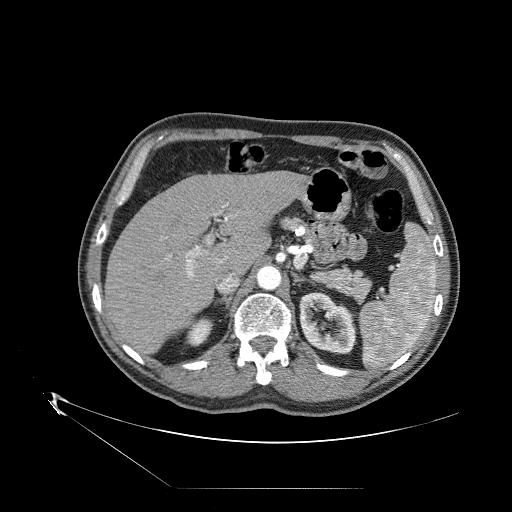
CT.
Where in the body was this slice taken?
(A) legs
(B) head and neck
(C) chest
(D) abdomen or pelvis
(D) abdomen or pelvis
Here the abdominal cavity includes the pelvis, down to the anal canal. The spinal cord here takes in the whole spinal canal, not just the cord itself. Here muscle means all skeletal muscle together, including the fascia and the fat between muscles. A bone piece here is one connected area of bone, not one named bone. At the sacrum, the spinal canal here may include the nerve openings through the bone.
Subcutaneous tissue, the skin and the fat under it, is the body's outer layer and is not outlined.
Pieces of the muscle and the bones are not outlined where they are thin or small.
The abdominal cavity is outlined by 254 138; 375 148; 405 176; 437 256; 437 293; 419 340; 387 367; 329 364; 300 337; 286 303; 270 292; 254 292; 242 299; 225 335; 189 361; 168 364; 142 357; 116 335; 102 307; 102 250; 114 212; 130 195; 140 172; 168 143. The muscle is outlined by 173 127; 387 140; 404 151; 431 193; 450 262; 445 313; 420 358; 395 378; 347 399; 296 401; 266 385; 272 380; 267 368; 271 363; 279 361; 283 367; 289 364; 287 343; 293 319; 299 337; 327 363; 315 362; 323 374; 340 377; 348 375; 351 369; 390 371; 402 365; 432 315; 438 316; 442 311; 438 257; 443 256; 444 248; 440 235; 435 233; 432 237; 428 228; 434 223; 434 215; 418 177; 392 147; 386 144; 384 147; 403 173; 375 147; 328 147; 284 137; 254 137; 168 142; 142 169; 153 145; 151 140; 143 144; 114 196; 117 207; 109 228; 104 220; 96 232; 94 244; 103 244; 100 288; 96 282; 92 284; 91 299; 98 313; 103 309; 121 348; 141 365; 145 364; 143 357; 148 357; 168 365; 181 363; 186 370; 206 368; 207 359; 195 359; 219 342; 232 326; 239 342; 236 365; 243 367; 246 362; 253 362; 258 384; 232 397; 198 397; 174 390; 122 360; 101 335; 90 305; 85 268; 90 239; 132 149; 146 135. The torso is outlined by 191 111; 361 122; 387 129; 413 148; 449 213; 459 252; 460 283; 457 306; 445 336; 411 378; 365 407; 341 415; 301 417; 270 408; 210 415; 152 395; 109 359; 90 328; 79 297; 77 260; 83 230; 99 192; 136 134; 165 116. The spinal cord is outlined by 261 335; 266 335; 267 336; 270 336; 275 339; 275 343; 272 346; 271 349; 268 350; 265 353; 261 353; 257 350; 254 349; 251 345; 251 343; 250 342; 251 341; 251 340; 255 337; 256 337; 257 336; 260 336. The bones appear in 11 outlined pieces: piece 1: 259 292; 277 296; 291 314; 290 338; 286 343; 288 364; 283 366; 279 360; 271 362; 266 367; 271 373; 271 380; 265 385; 256 382; 257 367; 253 361; 246 361; 243 366; 237 365; 240 342; 233 330; 234 314; 242 300; 250 294 with a hole at 261 335; 266 335; 267 336; 270 336; 275 339; 275 343; 272 346; 271 349; 268 350; 265 353; 261 353; 257 350; 254 349; 251 345; 251 343; 250 342; 251 341; 251 340; 255 337; 256 337; 257 336; 260 336; piece 2: 386 145; 392 148; 396 152; 401 155; 417 177; 423 196; 429 207; 429 209; 433 215; 433 223; 431 225; 426 224; 423 221; 420 215; 414 196; 410 189; 410 187; 408 184; 408 181; 403 171; 403 168; 402 166; 390 155; 385 147; piece 3: 149 141; 152 142; 152 145; 147 154; 147 156; 145 158; 145 161; 141 168; 141 170; 139 172; 139 175; 137 177; 133 187; 125 201; 121 205; 117 206; 114 200; 115 196; 120 189; 122 183; 130 169; 133 160; 138 151; 143 145; piece 4: 316 362; 318 362; 321 364; 328 364; 329 365; 335 366; 336 367; 339 367; 340 368; 347 368; 348 369; 350 369; 351 371; 346 375; 341 375; 340 376; 338 376; 337 375; 330 375; 329 374; 326 374; 320 371; 316 367; piece 5: 94 283; 96 283; 99 286; 99 288; 100 289; 100 297; 101 298; 101 307; 102 308; 102 311; 100 313; 99 312; 98 312; 95 308; 95 307; 94 306; 94 304; 93 303; 93 300; 92 299; 92 288; 93 287; 93 284; piece 6: 104 221; 106 221; 106 223; 108 226; 108 233; 106 236; 106 238; 105 239; 104 242; 101 245; 96 245; 95 244; 95 241; 96 240; 96 235; 97 234; 97 232; 98 231; 98 230; 99 229; 99 228; 100 227; 101 224; piece 7: 195 360; 207 360; 208 361; 208 364; 207 365; 207 366; 206 367; 204 367; 203 368; 201 368; 200 369; 186 369; 185 368; 183 368; 181 366; 181 364; 182 363; 185 363; 186 362; 190 362; 191 361; 194 361; piece 8: 122 343; 123 343; 124 344; 126 344; 128 346; 129 346; 133 350; 134 350; 143 359; 143 360; 144 361; 144 364; 141 364; 140 363; 139 363; 133 358; 132 358; 128 354; 127 354; 121 346; 121 344; piece 9: 435 234; 438 234; 439 235; 439 236; 441 239; 441 242; 442 243; 442 247; 443 248; 443 254; 442 255; 442 256; 438 256; 435 253; 435 251; 434 250; 434 246; 433 245; 433 242; 432 241; 432 239; 433 238; 433 236; piece 10: 438 293; 440 293; 442 295; 442 307; 441 308; 441 311; 440 312; 440 313; 438 315; 435 315; 434 314; 434 313; 433 312; 433 309; 434 308; 434 302; 435 301; 435 297; 436 296; 436 295; piece 11: 409 351; 411 351; 411 354; 409 356; 409 357; 402 364; 401 364; 397 367; 396 367; 393 369; 391 369; 390 370; 388 370; 387 369; 386 369; 389 366; 390 366; 396 360; 397 360; 400 357; 401 357; 404 354; 405 354.